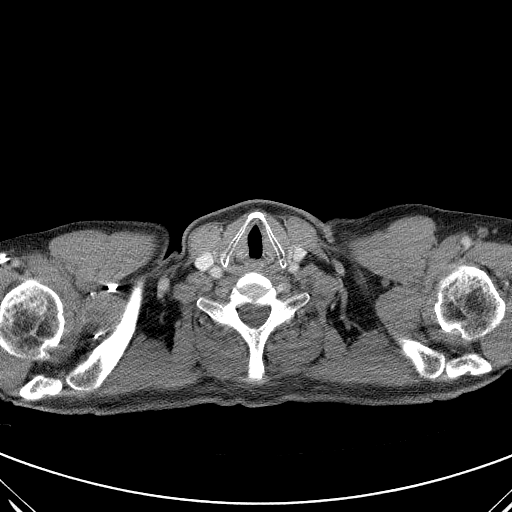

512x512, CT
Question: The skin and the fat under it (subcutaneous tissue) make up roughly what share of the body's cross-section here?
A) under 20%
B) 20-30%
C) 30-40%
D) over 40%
Answer: A) under 20%
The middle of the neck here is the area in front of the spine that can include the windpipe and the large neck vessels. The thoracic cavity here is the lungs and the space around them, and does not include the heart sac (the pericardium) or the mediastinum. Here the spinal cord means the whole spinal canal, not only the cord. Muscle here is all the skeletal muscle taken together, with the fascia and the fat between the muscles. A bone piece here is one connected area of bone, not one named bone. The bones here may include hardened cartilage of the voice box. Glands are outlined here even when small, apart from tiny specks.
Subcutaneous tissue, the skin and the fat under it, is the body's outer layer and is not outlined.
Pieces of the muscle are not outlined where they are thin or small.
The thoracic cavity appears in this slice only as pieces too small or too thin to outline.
Outlines:
muscle: 252 208; 301 217; 330 244; 414 214; 447 229; 504 229; 510 364; 493 369; 474 351; 447 358; 407 337; 400 352; 418 376; 450 382; 204 377; 175 390; 41 399; 64 384; 102 385; 137 327; 145 283; 136 279; 112 330; 62 378; 36 373; 19 396; 0 389; 0 347; 45 361; 65 329; 60 296; 35 277; 0 299; 0 252; 79 229; 138 230; 155 234; 148 268; 159 272; 194 228; inner edges: 254 211; 264 214; 288 248; 299 246; 307 254; 294 270; 256 271; 274 286; 282 284; 282 296; 305 291; 309 299; 269 334; 261 381; 247 382; 246 342; 196 301; 200 296; 225 301; 249 271; 212 277; 194 262; 203 249; 219 252, then 461 264; 473 265; 485 271; 490 277; 499 295; 505 302; 505 312; 500 323; 484 336; 471 341; 465 341; 456 333; 443 331; 437 321; 434 311; 434 304; 437 299; 435 294; 435 288; 437 282; 442 276; 448 273; 453 267; 459 266
thyroid glands: 290 246; 291 246; 292 247; 293 247; 293 252; 292 253; 292 256; 289 259; 289 260; 288 261; 287 261; 286 260; 286 259; 287 258; 287 257; 288 256; 288 255; 289 254; 289 253; 288 252; 288 248
middle of the neck: 255 218; 259 219; 264 226; 282 268; 293 256; 295 246; 303 248; 307 257; 297 268; 294 270; 279 268; 275 273; 244 270; 231 275; 212 277; 194 266; 198 254; 203 249; 219 252; 219 262; 222 266; 227 266; 234 247; 248 224
torso 1: 96 219; 150 220; 162 223; 168 228; 170 241; 166 254; 176 249; 177 254; 177 301; 210 380; 230 406; 202 403; 187 408; 96 416; 57 414; 0 400; 0 393; 65 364; 80 344; 82 327; 77 283; 42 251; 12 237; 68 222
torso 2: 408 202; 427 204; 444 209; 472 212; 436 250; 425 284; 425 292; 442 350; 505 372; 495 381; 479 389; 445 401; 385 406; 360 406; 332 402; 297 402; 321 370; 321 367; 325 362; 343 289; 325 220; 334 216; 357 217; 386 206
right arm: 8 238; 12 238; 42 252; 46 258; 76 283; 78 298; 79 299; 79 305; 80 306; 80 312; 81 313; 81 327; 80 328; 79 344; 73 351; 69 359; 65 363; 54 367; 33 378; 18 384; 11 389; 7 389; 0 392; 0 240
head and neck: 252 199; 271 200; 298 207; 321 220; 324 220; 342 285; 324 362; 320 367; 320 370; 296 401; 286 401; 277 405; 254 408; 240 404; 231 405; 209 376; 178 301; 177 253; 177 249; 180 248; 182 234; 188 224; 193 220; 213 211
spinal cord: 247 303; 249 304; 253 304; 254 305; 257 305; 258 306; 268 306; 270 309; 269 313; 267 317; 265 319; 265 320; 259 326; 257 327; 251 327; 249 326; 241 319; 239 315; 239 313; 238 312; 238 308; 240 306; 244 304; 246 304
left arm: 473 213; 480 213; 481 214; 487 214; 488 215; 511 218; 511 369; 507 371; 503 371; 479 363; 476 361; 444 351; 442 347; 438 330; 435 323; 435 320; 433 316; 429 299; 426 292; 426 284; 436 256; 437 250; 440 247; 440 245
bones 1: 249 271; 261 273; 274 286; 282 284; 285 289; 282 296; 304 291; 309 295; 308 301; 290 321; 278 325; 269 334; 262 354; 264 373; 259 382; 245 380; 249 350; 240 334; 232 327; 214 321; 196 305; 200 296; 225 301; 238 278, around a hole outlined by 247 303; 249 304; 253 304; 254 305; 257 305; 258 306; 268 306; 270 309; 269 313; 267 317; 265 319; 265 320; 259 326; 257 327; 251 327; 249 326; 241 319; 239 315; 239 313; 238 312; 238 308; 240 306; 244 304; 246 304
bones 2: 26 278; 35 278; 42 284; 48 286; 57 293; 63 305; 63 316; 64 317; 64 329; 63 330; 63 333; 57 346; 51 347; 48 350; 50 356; 48 359; 45 360; 33 360; 30 358; 16 357; 9 354; 0 346; 0 300; 10 289
bones 3: 461 264; 473 265; 485 271; 490 277; 499 295; 505 302; 505 312; 500 323; 484 336; 471 341; 465 341; 456 333; 443 331; 437 321; 434 311; 434 304; 437 299; 435 294; 435 288; 437 282; 442 276; 448 273; 453 267; 459 266
bones 4: 136 280; 141 280; 144 283; 143 299; 136 327; 122 356; 101 385; 91 391; 79 391; 64 383; 60 392; 53 396; 45 395; 37 400; 28 400; 21 397; 19 395; 20 388; 36 374; 62 379; 107 337; 119 320; 130 289
bones 5: 407 338; 418 341; 427 346; 441 351; 447 359; 457 357; 465 353; 474 352; 487 360; 491 365; 492 369; 489 372; 478 375; 471 375; 467 372; 456 378; 449 378; 446 376; 444 372; 434 379; 420 377; 410 360; 401 352; 401 349
bones 6: 254 211; 259 211; 264 214; 272 232; 284 249; 284 267; 282 267; 279 261; 280 258; 269 239; 265 226; 257 217; 251 219; 247 224; 244 232; 233 247; 227 265; 222 265; 220 262; 220 252; 227 247; 230 240; 243 224; 248 214